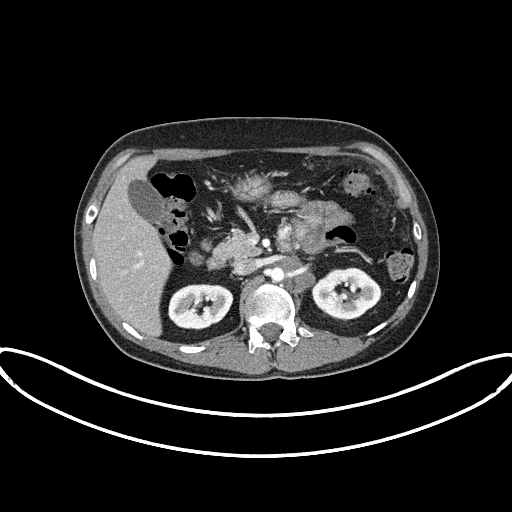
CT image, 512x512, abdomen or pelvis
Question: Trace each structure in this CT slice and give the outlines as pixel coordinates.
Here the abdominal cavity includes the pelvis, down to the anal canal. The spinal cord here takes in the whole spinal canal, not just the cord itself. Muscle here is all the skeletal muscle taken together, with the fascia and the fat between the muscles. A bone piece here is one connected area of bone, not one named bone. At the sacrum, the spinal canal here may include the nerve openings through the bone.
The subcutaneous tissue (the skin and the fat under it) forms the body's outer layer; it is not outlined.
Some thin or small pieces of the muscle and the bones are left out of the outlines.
Answer: {"spinal_cord":[[[266,340],[274,340],[275,339],[276,339],[277,338],[277,337],[278,336],[279,333],[281,331],[281,327],[280,326],[279,326],[278,325],[277,325],[274,323],[267,323],[266,324],[263,325],[260,328],[260,332],[263,335],[263,336],[265,338],[265,339]]],"muscle":[{"outer":[[247,374],[260,374],[266,372],[272,368],[276,368],[287,372],[295,372],[296,371],[300,371],[305,369],[310,369],[314,367],[317,367],[326,363],[339,361],[355,355],[369,346],[373,342],[379,339],[388,330],[391,329],[395,325],[399,323],[405,317],[412,307],[416,298],[416,295],[420,287],[420,283],[424,276],[424,273],[426,269],[426,263],[428,255],[428,241],[427,240],[426,226],[418,208],[418,203],[415,193],[408,180],[394,160],[383,149],[375,144],[366,141],[356,141],[336,146],[334,145],[322,145],[321,146],[303,146],[302,147],[264,147],[263,148],[229,148],[228,149],[203,149],[202,148],[179,148],[178,147],[175,148],[153,148],[152,149],[148,149],[145,147],[141,148],[130,147],[126,148],[116,154],[107,163],[103,169],[83,212],[81,220],[80,234],[82,240],[81,243],[82,246],[82,255],[83,256],[83,260],[85,265],[88,282],[96,303],[105,317],[119,333],[125,338],[151,351],[155,351],[169,356],[174,359],[187,362],[191,364],[218,367],[223,369],[233,370]],"holes":[[[251,353],[257,347],[273,350],[282,342],[293,347],[301,336],[313,336],[297,326],[295,315],[307,327],[334,334],[370,335],[385,326],[415,290],[418,223],[411,221],[381,170],[362,157],[251,152],[200,160],[162,160],[150,154],[129,159],[102,202],[93,202],[85,213],[85,222],[94,223],[92,279],[98,278],[123,327],[139,339],[146,335],[179,342],[179,350],[197,352],[205,346],[195,344],[226,336],[245,321]],[[406,205],[407,205],[411,201],[411,196],[397,170],[388,159],[388,158],[380,150],[371,145],[366,145],[361,143],[357,144],[356,145],[358,147],[359,147],[362,150],[369,153],[379,161],[380,161],[393,174],[395,179],[396,186],[399,192],[399,195]],[[114,168],[115,167],[117,167],[119,165],[120,165],[127,158],[127,157],[128,156],[128,154],[126,154],[125,155],[124,155],[123,156],[122,156],[121,157],[120,157],[117,160],[117,161],[114,164],[114,166],[113,167]]]}],"bones":[{"outer":[[251,353],[257,347],[264,347],[273,350],[282,342],[293,347],[297,344],[301,336],[310,337],[314,334],[301,326],[297,326],[294,321],[296,310],[293,301],[289,293],[282,286],[264,283],[254,289],[246,299],[245,319],[248,329],[247,343],[249,352]],"hole":[[266,340],[274,340],[275,339],[276,339],[277,338],[277,337],[278,336],[279,333],[281,331],[281,327],[280,326],[279,326],[278,325],[277,325],[274,323],[267,323],[266,324],[263,325],[260,328],[260,332],[263,335],[263,336],[265,338],[265,339]]},[[406,205],[407,205],[411,201],[411,196],[397,170],[388,159],[388,158],[380,150],[371,145],[366,145],[361,143],[357,144],[356,145],[358,147],[359,147],[362,150],[369,153],[379,161],[380,161],[393,174],[395,179],[396,186],[399,192],[399,195]],[[87,224],[90,224],[93,221],[93,220],[94,219],[94,218],[96,216],[96,215],[97,214],[97,212],[98,211],[98,209],[99,208],[99,205],[96,202],[93,202],[87,208],[87,209],[86,210],[86,212],[85,213],[85,222]],[[183,352],[197,352],[198,351],[200,351],[201,350],[203,350],[205,348],[205,346],[204,346],[203,345],[201,345],[200,346],[195,346],[194,345],[187,345],[186,344],[182,344],[181,345],[180,345],[180,346],[179,347],[179,350],[180,350]],[[139,339],[143,339],[144,338],[144,337],[138,332],[137,332],[131,326],[130,326],[129,325],[129,324],[128,324],[126,322],[123,321],[123,322],[122,323],[122,325],[123,326],[123,327],[129,333],[130,333],[132,335],[133,335],[135,337],[136,337]],[[366,335],[370,335],[371,334],[373,334],[375,333],[377,331],[381,329],[384,326],[385,326],[387,324],[387,322],[386,321],[384,321],[378,324],[376,326],[375,326],[373,328],[369,330],[366,333]],[[114,168],[115,167],[117,167],[119,165],[120,165],[127,158],[127,157],[128,156],[128,154],[126,154],[125,155],[124,155],[123,156],[122,156],[121,157],[120,157],[117,160],[117,161],[114,164],[114,166],[113,167]]],"abdominal_cavity":[[[187,344],[236,331],[245,321],[245,299],[264,282],[282,285],[292,296],[297,318],[310,328],[354,335],[385,320],[414,278],[417,247],[408,211],[381,170],[362,157],[294,153],[176,161],[141,154],[129,159],[93,222],[97,277],[110,305],[141,334]]],"torso":[[[242,381],[320,377],[371,364],[402,347],[424,319],[439,277],[435,216],[416,175],[397,150],[376,132],[352,122],[309,117],[221,116],[171,121],[123,134],[104,151],[92,170],[75,214],[73,248],[84,296],[104,332],[123,353],[144,363],[189,375]]]}